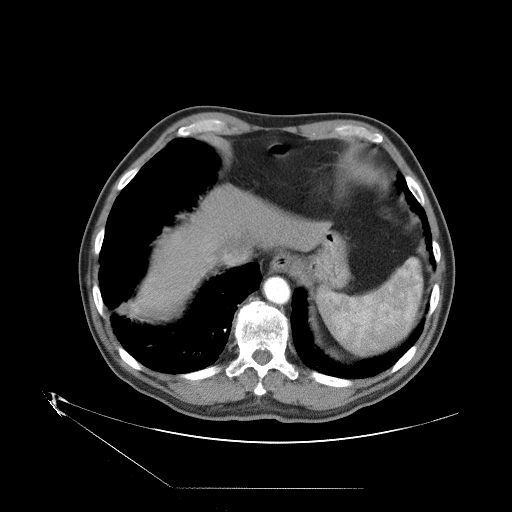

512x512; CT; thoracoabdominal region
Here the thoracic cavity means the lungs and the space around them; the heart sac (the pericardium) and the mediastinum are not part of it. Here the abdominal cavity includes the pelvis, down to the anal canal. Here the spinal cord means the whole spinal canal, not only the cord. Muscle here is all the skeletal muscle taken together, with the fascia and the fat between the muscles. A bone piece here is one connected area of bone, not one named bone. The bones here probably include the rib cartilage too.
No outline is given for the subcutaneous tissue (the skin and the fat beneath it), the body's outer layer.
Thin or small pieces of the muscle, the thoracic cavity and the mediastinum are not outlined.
The torso is outlined by 194 105; 269 114; 357 113; 386 123; 409 145; 450 233; 455 284; 434 351; 397 391; 347 417; 325 423; 285 424; 273 419; 219 422; 173 411; 138 392; 110 369; 90 333; 82 305; 78 281; 82 236; 103 185; 126 153; 160 119. The spinal cord is outlined by 259 349; 260 350; 267 350; 268 351; 269 351; 269 352; 271 354; 271 358; 266 363; 265 363; 264 364; 260 364; 259 363; 258 363; 253 358; 253 356; 252 355; 253 354; 253 353; 256 350; 258 350. The thoracic cavity appears in 3 outlined pieces: piece 1: 189 136; 212 148; 219 161; 215 177; 149 242; 130 314; 144 323; 173 326; 202 287; 226 271; 257 262; 261 280; 237 305; 233 343; 225 356; 197 370; 169 373; 143 365; 121 345; 99 286; 99 255; 120 192; 172 139; piece 2: 296 288; 301 288; 305 291; 307 324; 314 345; 328 357; 341 364; 351 366; 361 361; 387 354; 401 346; 423 318; 423 327; 416 341; 390 367; 379 373; 352 379; 329 375; 306 366; 299 359; 294 349; 288 346; 291 336; 292 297; piece 3: 399 172; 403 175; 408 189; 425 212; 431 234; 431 252; 435 262; 434 269; 433 269; 432 265; 430 264; 430 254; 426 247; 424 226; 422 223; 422 220; 418 214; 412 210; 410 207; 410 204; 406 200; 404 192; 398 189; 397 173. The mediastinum appears in 2 outlined pieces: piece 1: 275 251; 283 251; 294 259; 305 282; 304 288; 296 287; 293 291; 291 297; 291 312; 289 320; 283 311; 274 305; 258 298; 243 304; 238 309; 238 305; 252 292; 256 291; 260 286; 262 276; 257 260; 262 256; 266 256; 267 254; piece 2: 370 143; 372 143; 378 146; 380 146; 385 151; 386 151; 398 167; 399 169; 399 171; 398 172; 395 172; 393 170; 389 170; 389 169; 385 165; 382 164; 381 162; 381 159; 380 158; 380 153; 379 151; 374 147; 371 147; 370 146. The bones appear in 13 outlined pieces: piece 1: 256 299; 274 306; 287 317; 290 336; 285 353; 287 359; 299 372; 297 378; 290 379; 275 368; 269 369; 262 378; 266 392; 261 395; 253 391; 259 378; 252 367; 247 367; 232 377; 224 371; 225 366; 237 355; 233 318; 243 305; inner edge: 259 349; 260 350; 267 350; 268 351; 269 351; 269 352; 271 354; 271 358; 266 363; 265 363; 264 364; 260 364; 259 363; 258 363; 253 358; 253 356; 252 355; 253 354; 253 353; 256 350; 258 350; piece 2: 201 118; 216 118; 217 119; 219 119; 225 122; 226 126; 227 127; 225 129; 224 129; 221 132; 214 132; 213 131; 204 131; 203 132; 199 132; 193 135; 189 135; 188 136; 177 136; 176 134; 177 130; 181 126; 187 125; piece 3: 343 124; 352 124; 353 125; 362 126; 371 132; 376 132; 381 134; 382 135; 383 140; 381 143; 373 143; 365 139; 359 138; 357 136; 343 136; 342 137; 341 136; 333 136; 332 132; 334 127; 335 126; 337 126; 338 125; 342 125; piece 4: 312 370; 317 371; 320 373; 322 373; 329 376; 333 376; 338 378; 350 379; 353 381; 353 383; 350 386; 346 386; 345 387; 337 387; 336 386; 332 386; 331 385; 322 384; 316 381; 314 379; 311 378; 309 376; 309 372; piece 5: 215 364; 220 365; 222 367; 222 369; 219 372; 209 377; 206 377; 205 378; 202 378; 201 379; 190 380; 189 379; 182 378; 179 376; 179 374; 181 373; 188 373; 189 372; 197 371; 198 370; 203 369; 208 366; 211 366; piece 6: 404 175; 410 175; 413 178; 414 178; 415 180; 419 184; 419 186; 422 191; 422 193; 423 194; 423 197; 424 198; 424 205; 423 206; 422 206; 418 202; 418 201; 415 198; 415 197; 409 189; 407 185; 407 183; 405 180; piece 7: 414 344; 415 344; 417 346; 417 348; 415 351; 415 353; 410 359; 410 360; 404 365; 403 365; 399 369; 398 369; 396 371; 395 371; 392 373; 389 373; 388 372; 388 371; 390 369; 390 368; 399 359; 399 358; 400 358; piece 8: 119 345; 120 345; 131 356; 132 356; 138 362; 139 362; 143 366; 143 367; 141 370; 138 370; 137 369; 132 367; 130 365; 129 365; 126 362; 125 362; 121 358; 121 357; 119 355; 119 353; 117 350; 117 346; 118 346; piece 9: 94 282; 96 282; 98 284; 98 286; 100 290; 101 297; 102 298; 102 300; 104 304; 104 308; 103 309; 104 317; 100 315; 100 314; 98 312; 98 310; 94 302; 94 298; 93 297; 93 293; 92 292; 92 287; 93 286; piece 10: 435 283; 437 283; 439 285; 439 299; 438 300; 438 302; 437 303; 434 310; 432 312; 431 315; 429 317; 427 317; 427 312; 428 311; 428 309; 429 308; 429 299; 430 298; 430 295; 431 294; 431 291; 432 290; 432 287; piece 11: 136 166; 140 166; 140 168; 138 170; 138 171; 136 173; 136 174; 130 180; 130 181; 121 190; 118 190; 117 189; 117 185; 118 184; 118 183; 119 182; 121 177; 123 175; 123 174; 126 171; 127 171; 128 170; 129 170; piece 12: 102 227; 104 227; 104 235; 103 236; 103 240; 102 241; 102 243; 101 244; 101 248; 100 249; 99 254; 98 255; 97 255; 96 254; 95 254; 95 252; 94 251; 94 245; 95 244; 95 238; 96 237; 96 235; 97 234; 97 233; piece 13: 432 240; 435 240; 438 243; 438 244; 439 245; 439 247; 440 248; 440 258; 439 259; 439 261; 438 262; 438 263; 436 263; 436 262; 435 261; 435 260; 434 259; 434 257; 433 256; 433 253; 432 252. The abdominal cavity is outlined by 254 131; 285 131; 312 140; 361 139; 396 173; 397 189; 421 220; 435 272; 425 317; 401 345; 351 365; 324 353; 308 324; 306 282; 283 250; 207 281; 173 325; 131 314; 150 242; 178 210; 189 210; 216 177; 218 157; 194 135. The muscle appears in 2 outlined pieces: piece 1: 207 111; 226 113; 250 124; 264 127; 297 126; 334 119; 358 120; 379 129; 400 152; 421 182; 433 209; 445 258; 445 283; 442 306; 433 336; 419 360; 399 379; 345 405; 327 410; 311 410; 286 404; 266 395; 267 391; 263 385; 263 378; 271 369; 279 371; 290 380; 298 378; 299 370; 287 357; 288 347; 293 349; 298 359; 311 369; 308 372; 308 376; 311 379; 322 385; 337 388; 350 387; 354 383; 353 379; 372 377; 389 368; 387 372; 392 374; 411 360; 418 348; 415 343; 422 333; 426 314; 427 318; 432 315; 440 299; 440 285; 435 282; 436 272; 434 270; 441 258; 441 248; 439 243; 432 239; 429 221; 423 207; 425 205; 425 198; 420 184; 410 174; 403 174; 389 153; 376 144; 383 142; 383 135; 379 132; 371 131; 362 125; 352 123; 338 124; 333 127; 331 137; 312 139; 285 130; 223 133; 228 127; 227 124; 216 117; 201 117; 181 125; 176 130; 176 136; 143 165; 136 165; 124 172; 174 122; 188 115; piece 2: 122 174; 116 185; 116 189; 120 191; 110 208; 105 225; 98 230; 94 238; 93 251; 98 256; 99 268; 97 273; 98 283; 94 281; 91 287; 97 312; 104 318; 105 307; 108 313; 112 331; 120 344; 116 346; 118 355; 125 363; 138 371; 141 371; 144 366; 162 373; 178 374; 182 379; 194 381; 209 378; 219 373; 223 367; 216 363; 226 356; 229 347; 234 344; 236 346; 236 355; 224 366; 223 371; 229 378; 232 378; 240 375; 245 369; 252 368; 258 378; 252 391; 254 394; 242 400; 223 404; 196 405; 184 402; 126 371; 116 362; 100 339; 92 320; 89 305; 86 283; 88 256; 91 237; 97 220; 112 186.